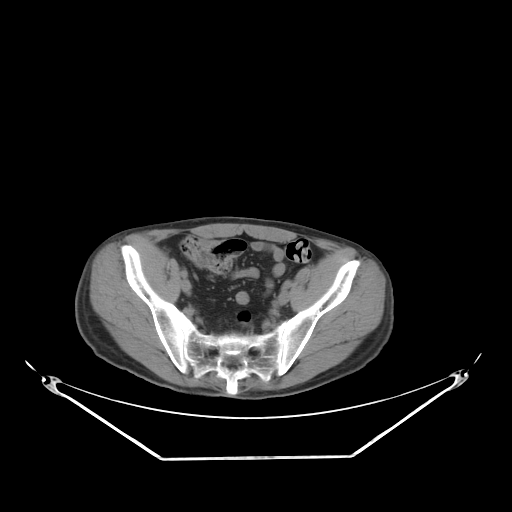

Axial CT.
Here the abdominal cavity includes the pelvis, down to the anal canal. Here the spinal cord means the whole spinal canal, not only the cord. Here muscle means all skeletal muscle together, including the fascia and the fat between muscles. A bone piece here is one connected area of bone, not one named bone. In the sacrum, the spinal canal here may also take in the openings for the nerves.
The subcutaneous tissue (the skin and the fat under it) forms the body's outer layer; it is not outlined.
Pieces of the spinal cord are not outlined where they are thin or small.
Outlines (x, y in pixels):
abdominal cavity: (184, 232) (202, 238) (225, 238) (244, 232) (255, 239) (267, 242) (307, 239) (321, 248) (325, 254) (316, 263) (301, 268) (295, 274) (289, 291) (290, 305) (295, 313) (271, 330) (263, 333) (238, 331) (204, 333) (176, 305) (181, 281) (179, 264) (157, 245) (166, 238)
spinal cord: (230, 358) (234, 358) (238, 362) (239, 362) (241, 364) (241, 365) (240, 366) (239, 366) (237, 368) (230, 368) (229, 367) (228, 367) (226, 365) (225, 365) (224, 364) (224, 362) (225, 362) (228, 359) (229, 359)
muscle: (211, 223) (273, 226) (353, 247) (374, 260) (385, 276) (380, 323) (348, 357) (302, 383) (277, 390) (237, 394) (239, 381) (251, 374) (266, 383) (274, 375) (280, 377) (289, 370) (319, 319) (349, 294) (361, 260) (353, 258) (341, 264) (327, 289) (311, 304) (294, 312) (290, 301) (294, 278) (301, 269) (316, 264) (326, 254) (321, 247) (300, 237) (267, 241) (244, 231) (225, 237) (202, 237) (184, 231) (156, 243) (178, 264) (180, 281) (175, 304) (157, 293) (144, 273) (140, 253) (131, 244) (123, 243) (119, 249) (125, 279) (148, 307) (154, 329) (171, 362) (182, 374) (191, 372) (195, 379) (215, 372) (225, 381) (226, 393) (223, 393) (161, 378) (125, 353) (93, 310) (89, 300) (92, 262) (105, 245) (132, 233)
torso: (213, 215) (236, 215) (294, 222) (350, 239) (373, 252) (388, 270) (394, 292) (394, 328) (381, 352) (365, 367) (330, 383) (289, 396) (260, 400) (237, 400) (177, 392) (148, 382) (96, 356) (80, 336) (74, 318) (74, 295) (77, 283) (92, 250) (110, 235) (127, 228)
bones: (123, 244) (139, 253) (143, 273) (156, 293) (204, 334) (267, 333) (317, 300) (341, 265) (353, 259) (360, 264) (346, 297) (318, 319) (288, 370) (266, 382) (251, 373) (238, 381) (237, 393) (229, 395) (226, 381) (215, 371) (195, 378) (172, 362) (149, 307) (126, 279) with holes at (230, 358) (234, 358) (238, 362) (239, 362) (241, 364) (241, 365) (240, 366) (239, 366) (237, 368) (230, 368) (229, 367) (228, 367) (226, 365) (225, 365) (224, 364) (224, 362) (225, 362) (228, 359) (229, 359) and at (252, 346) (255, 346) (258, 349) (258, 353) (255, 356) (252, 356) (249, 353) (249, 349) and at (211, 346) (212, 346) (213, 346) (214, 346) (215, 347) (216, 348) (217, 349) (217, 350) (217, 351) (217, 352) (216, 353) (215, 354) (214, 355) (213, 355) (212, 355) (211, 355) (210, 354) (209, 353) (208, 352) (208, 351) (208, 350) (208, 349) (209, 348) (210, 347)